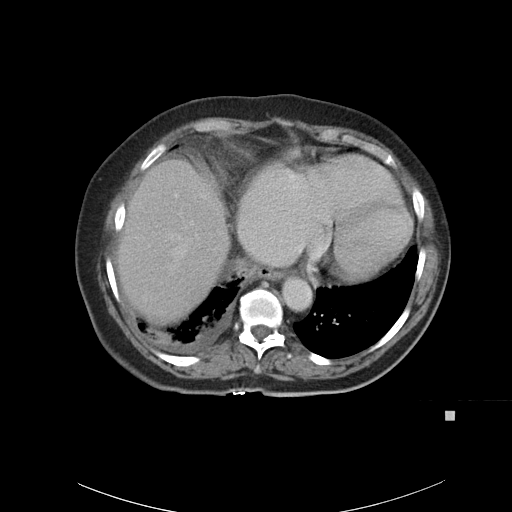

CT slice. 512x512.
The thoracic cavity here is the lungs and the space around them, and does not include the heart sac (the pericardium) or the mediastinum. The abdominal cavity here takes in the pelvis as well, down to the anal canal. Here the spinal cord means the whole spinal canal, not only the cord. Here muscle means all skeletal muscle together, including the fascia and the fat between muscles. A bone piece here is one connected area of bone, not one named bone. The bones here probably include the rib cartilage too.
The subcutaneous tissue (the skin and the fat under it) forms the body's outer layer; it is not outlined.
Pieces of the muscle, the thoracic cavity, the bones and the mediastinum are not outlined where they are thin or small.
{"mediastinum":[[[233,234],[246,260],[257,267],[272,271],[289,272],[316,285],[332,286],[319,286],[316,289],[315,299],[308,314],[300,321],[295,321],[290,325],[286,323],[280,300],[268,289],[256,287],[238,296],[240,286],[245,280],[246,271],[232,255]],[[212,131],[223,131],[224,132],[223,134],[215,134],[209,136],[202,136],[201,135],[193,136],[191,135],[188,138],[185,138],[182,141],[179,142],[176,148],[174,148],[171,151],[167,150],[177,139],[189,132],[207,133]]],"torso":[[[276,93],[295,93],[366,112],[396,131],[423,162],[440,192],[451,233],[450,272],[439,307],[421,338],[397,365],[352,391],[270,397],[260,392],[217,396],[156,389],[108,355],[96,337],[80,294],[74,238],[87,183],[130,133],[167,108],[212,95]]],"muscle":[{"outer":[[274,116],[279,116],[292,120],[300,120],[308,124],[335,125],[336,126],[351,128],[374,137],[388,147],[395,154],[402,164],[418,182],[421,187],[421,190],[428,200],[432,210],[433,219],[434,220],[435,235],[438,241],[438,249],[441,257],[441,261],[439,264],[440,271],[433,297],[426,313],[417,324],[379,358],[371,363],[370,365],[342,377],[328,378],[327,379],[307,379],[306,380],[301,378],[296,378],[294,380],[283,380],[282,379],[276,379],[271,376],[263,374],[245,374],[232,377],[228,379],[221,379],[217,377],[215,378],[206,378],[205,379],[192,379],[191,378],[178,377],[170,372],[164,370],[155,363],[145,358],[133,346],[131,342],[126,338],[118,325],[107,311],[102,293],[98,285],[96,265],[99,252],[102,247],[102,236],[104,232],[104,222],[107,215],[107,212],[110,208],[109,204],[119,190],[120,187],[128,177],[134,165],[145,153],[146,150],[157,140],[172,129],[187,122],[205,117],[230,117],[231,118],[238,118],[239,119],[245,119],[252,121],[261,121],[262,120],[267,120]],"holes":[[[209,120],[236,124],[225,134],[247,134],[276,124],[316,139],[323,130],[335,129],[340,135],[348,134],[382,148],[393,158],[395,172],[410,197],[414,187],[421,192],[424,214],[417,222],[416,246],[426,250],[423,269],[406,303],[410,307],[408,317],[383,345],[320,365],[308,358],[308,349],[284,322],[279,331],[285,336],[285,346],[268,348],[260,359],[252,347],[239,341],[241,328],[236,330],[232,325],[215,344],[198,352],[195,355],[200,360],[190,365],[172,364],[152,352],[157,349],[116,300],[108,279],[105,261],[109,257],[114,263],[120,237],[114,216],[121,202],[126,205],[144,173],[140,166],[151,150],[160,143],[169,148],[183,135],[195,133],[196,123]],[[258,363],[259,364],[259,365],[260,366],[260,367],[260,368],[260,369],[260,370],[260,371],[259,372],[258,373],[257,373],[256,373],[255,372],[255,371],[254,370],[254,369],[255,368],[255,367],[256,366],[256,365],[257,364]]]}],"spinal_cord":[[[257,325],[264,325],[265,326],[268,327],[271,330],[271,332],[269,334],[268,334],[266,336],[265,336],[260,341],[259,340],[258,340],[254,336],[254,335],[252,333],[252,331],[251,330],[252,329],[252,327],[253,327],[254,326],[256,326]]],"bones":[{"outer":[[256,288],[268,290],[279,300],[283,311],[283,324],[279,328],[279,331],[285,336],[284,347],[270,347],[264,351],[260,359],[258,359],[257,353],[252,347],[239,341],[238,335],[241,328],[236,330],[233,327],[234,322],[239,319],[238,307],[240,296]],"hole":[[257,325],[264,325],[265,326],[268,327],[271,330],[271,332],[269,334],[268,334],[266,336],[265,336],[260,341],[259,340],[258,340],[254,336],[254,335],[252,333],[252,331],[251,330],[252,329],[252,327],[253,327],[254,326],[256,326]]},[[326,129],[335,129],[338,131],[340,135],[348,134],[361,140],[370,142],[379,146],[391,155],[397,166],[396,168],[392,168],[386,165],[379,158],[359,147],[356,147],[343,142],[340,137],[330,141],[321,141],[319,140],[317,138],[318,135],[323,130]],[[406,306],[409,306],[410,307],[410,312],[409,313],[409,315],[404,322],[404,323],[397,331],[397,332],[383,345],[369,352],[368,351],[368,349],[372,345],[376,343],[388,331],[388,330],[393,325],[393,324],[400,316],[400,315],[402,313]],[[152,349],[158,350],[159,351],[161,351],[162,352],[164,352],[168,354],[171,354],[172,355],[177,355],[178,356],[198,356],[200,358],[200,360],[198,362],[193,363],[187,366],[175,365],[169,362],[167,362],[158,357],[152,352],[151,350]],[[209,120],[228,121],[234,124],[236,124],[236,125],[235,126],[233,126],[229,131],[224,131],[223,130],[212,130],[207,132],[204,132],[203,131],[196,131],[194,129],[194,125],[196,123],[202,122],[203,121],[208,121]],[[414,187],[416,187],[421,192],[421,193],[423,196],[423,198],[424,199],[424,214],[423,215],[423,219],[420,222],[419,222],[417,220],[417,219],[415,216],[415,214],[414,213],[414,210],[413,209],[413,205],[412,204],[412,190]],[[160,143],[163,143],[164,144],[165,144],[165,145],[167,148],[166,149],[166,150],[159,157],[158,157],[157,158],[157,159],[156,159],[145,170],[141,170],[140,169],[140,166],[141,165],[142,162],[146,157],[146,156],[154,147],[155,147]],[[107,257],[109,257],[110,258],[112,263],[113,271],[115,276],[115,280],[117,285],[117,289],[118,290],[119,297],[121,301],[120,302],[118,302],[116,300],[112,292],[112,289],[108,279],[108,276],[106,271],[106,266],[105,265],[105,261]],[[121,202],[124,203],[124,205],[125,206],[125,217],[124,218],[124,220],[123,221],[123,224],[122,225],[122,227],[121,229],[119,231],[116,231],[115,229],[115,222],[114,221],[114,216],[115,215],[115,212],[116,211],[116,209],[119,205],[119,204]],[[422,246],[423,246],[426,250],[426,255],[425,256],[425,260],[424,261],[424,264],[423,265],[423,269],[422,270],[420,278],[418,281],[416,281],[415,282],[415,272],[416,271],[416,267],[417,266],[417,262],[418,261],[418,250],[419,248]],[[308,350],[309,351],[311,351],[318,355],[320,355],[323,357],[325,357],[326,358],[328,358],[329,359],[331,359],[331,360],[332,361],[332,363],[329,365],[320,365],[319,364],[316,364],[315,363],[314,363],[312,361],[311,361],[308,358]]],"abdominal_cavity":[[[274,124],[299,130],[323,142],[321,145],[270,151],[238,163],[224,182],[233,231],[231,255],[236,261],[229,266],[225,282],[215,286],[176,328],[154,331],[142,322],[136,323],[122,303],[113,264],[126,204],[144,172],[191,136],[247,134]]],"pericardium":[[[304,145],[361,150],[387,166],[403,184],[405,195],[407,195],[407,192],[407,199],[413,211],[415,241],[395,265],[377,277],[349,285],[316,284],[295,273],[262,268],[247,260],[236,239],[229,219],[225,182],[236,166],[242,162],[262,154],[290,150]]],"thoracic_cavity":[[[414,244],[417,247],[417,261],[414,272],[414,281],[406,305],[387,331],[369,347],[347,356],[329,358],[309,350],[289,328],[287,324],[290,326],[295,322],[302,321],[312,310],[319,287],[330,288],[333,286],[349,286],[373,280],[399,264],[409,248]],[[234,262],[237,262],[245,271],[244,280],[239,286],[237,293],[239,297],[238,317],[215,344],[195,355],[178,355],[159,350],[146,340],[138,329],[138,323],[144,324],[148,330],[154,332],[178,328],[190,317],[215,287],[222,286],[226,282],[226,276]]]}